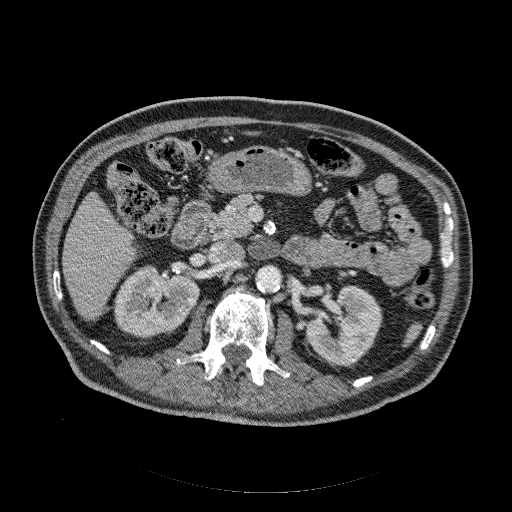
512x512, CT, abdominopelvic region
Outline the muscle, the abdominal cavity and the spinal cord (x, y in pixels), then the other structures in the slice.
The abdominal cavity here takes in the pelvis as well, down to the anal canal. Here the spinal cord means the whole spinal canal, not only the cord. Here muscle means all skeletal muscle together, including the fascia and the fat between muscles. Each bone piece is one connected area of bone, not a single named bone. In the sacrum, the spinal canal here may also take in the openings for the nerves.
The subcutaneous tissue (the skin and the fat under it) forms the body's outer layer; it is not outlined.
muscle: 219 115; 247 116; 260 119; 273 119; 291 122; 312 122; 353 131; 381 142; 401 153; 409 160; 436 172; 445 180; 450 187; 454 197; 459 219; 459 290; 448 322; 439 337; 439 341; 432 349; 431 353; 405 376; 390 382; 386 382; 382 385; 372 387; 356 396; 342 400; 336 404; 325 407; 318 407; 313 410; 299 413; 274 415; 270 413; 258 414; 233 406; 196 407; 189 406; 184 403; 176 404; 164 401; 123 383; 102 362; 88 354; 79 347; 78 344; 73 341; 70 336; 67 335; 49 301; 45 269; 44 237; 46 234; 46 227; 51 217; 61 184; 72 164; 88 147; 97 141; 109 136; 132 132; 145 125; 171 119; inner edge: 235 123; 381 155; 429 192; 440 232; 448 202; 453 261; 426 349; 354 387; 296 355; 278 309; 266 353; 290 375; 207 381; 201 362; 175 359; 207 345; 213 298; 196 304; 179 343; 152 355; 90 343; 53 288; 90 174; 151 137
abdominal cavity: 235 123; 345 139; 429 192; 442 287; 430 323; 404 359; 354 379; 322 373; 292 349; 289 315; 272 315; 263 297; 238 289; 212 310; 215 300; 201 299; 179 343; 152 355; 116 353; 76 325; 58 253; 90 174; 114 152; 151 137
spinal cord: 229 344; 233 344; 236 346; 241 346; 243 345; 247 347; 250 350; 251 352; 251 354; 250 356; 248 357; 243 363; 240 364; 238 366; 233 366; 231 365; 228 362; 226 361; 226 357; 223 354; 222 352; 222 349; 223 347
bones 1: 236 290; 261 297; 269 305; 272 319; 266 353; 282 369; 290 372; 287 378; 267 369; 263 373; 263 384; 258 386; 242 373; 234 377; 226 370; 207 381; 201 362; 178 366; 175 363; 177 357; 198 352; 207 345; 208 318; 218 302; inner edge: 229 344; 233 344; 236 346; 241 346; 243 345; 247 347; 250 350; 251 352; 251 354; 250 356; 248 357; 243 363; 240 364; 238 366; 233 366; 231 365; 228 362; 226 361; 226 357; 223 354; 222 352; 222 349; 223 347
bones 2: 444 200; 446 200; 450 206; 451 209; 450 216; 452 218; 454 224; 451 240; 451 248; 453 251; 453 261; 448 268; 444 268; 442 266; 440 260; 440 248; 441 247; 439 233; 444 228; 444 219; 446 216; 443 211; 442 206; 442 202
bones 3: 429 324; 433 324; 435 326; 435 333; 434 334; 434 335; 433 336; 433 337; 432 338; 429 345; 427 347; 427 348; 426 349; 421 350; 419 348; 419 344; 420 343; 420 341; 422 339; 422 338; 426 331; 426 329; 429 325
bones 4: 54 269; 57 269; 59 271; 59 274; 60 275; 60 285; 61 286; 61 290; 62 291; 62 293; 63 294; 63 298; 61 300; 59 300; 57 298; 57 297; 56 296; 56 295; 54 292; 54 289; 53 288; 53 271; 54 270
bones 5: 367 375; 372 375; 373 376; 373 378; 370 381; 369 381; 368 382; 367 382; 366 383; 365 383; 363 385; 362 385; 359 387; 354 387; 352 385; 352 382; 355 379; 356 379; 357 378; 359 378; 362 376; 366 376
bones 6: 90 339; 95 339; 96 340; 99 341; 104 345; 105 345; 106 346; 106 347; 109 349; 109 350; 110 351; 110 353; 109 354; 107 354; 106 353; 101 351; 99 349; 98 349; 95 346; 94 346; 92 344; 91 344; 90 343
torso: 202 96; 309 101; 351 111; 397 130; 451 173; 469 218; 473 286; 470 305; 453 348; 436 377; 425 387; 353 418; 315 425; 272 427; 159 413; 92 389; 76 377; 41 314; 33 281; 33 231; 52 178; 76 145; 102 124; 157 102